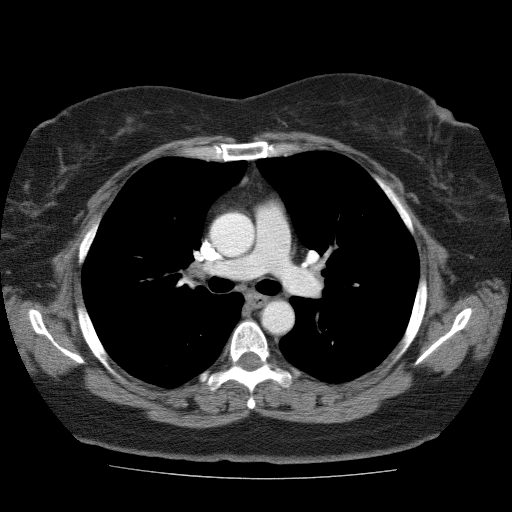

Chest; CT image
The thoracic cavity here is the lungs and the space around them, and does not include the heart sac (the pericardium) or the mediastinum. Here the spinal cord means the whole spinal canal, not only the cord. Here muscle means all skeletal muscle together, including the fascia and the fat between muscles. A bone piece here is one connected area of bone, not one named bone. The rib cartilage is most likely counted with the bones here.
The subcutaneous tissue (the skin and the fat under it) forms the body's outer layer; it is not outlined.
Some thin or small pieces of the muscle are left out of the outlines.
{"torso":[[[329,72],[367,73],[423,89],[456,119],[477,127],[493,160],[509,222],[509,290],[493,351],[463,405],[436,437],[414,448],[343,461],[190,461],[80,441],[30,376],[4,303],[0,273],[4,208],[33,129],[69,104],[119,87],[167,85],[242,98]]],"thoracic_cavity":[[[173,155],[208,162],[247,161],[239,181],[220,194],[207,209],[197,250],[198,264],[208,279],[225,294],[241,294],[243,303],[239,319],[217,360],[181,385],[166,388],[146,383],[132,376],[110,357],[87,311],[81,270],[102,217],[122,187],[148,163]],[[315,149],[346,156],[373,178],[412,236],[419,266],[411,312],[403,334],[394,348],[372,370],[338,383],[325,382],[303,372],[280,357],[274,348],[278,347],[281,338],[294,327],[296,321],[290,296],[303,277],[305,247],[282,198],[259,170],[257,160]]],"mediastinum":[[[252,160],[256,160],[258,170],[281,198],[304,247],[302,277],[289,296],[295,321],[293,327],[280,338],[277,347],[270,345],[255,320],[244,319],[238,323],[244,297],[239,292],[220,290],[199,264],[198,250],[208,209],[220,195],[240,181],[248,161]]],"muscle":[{"outer":[[266,131],[303,131],[326,136],[365,153],[395,174],[405,190],[416,195],[418,202],[411,202],[411,206],[449,254],[446,265],[458,278],[450,286],[453,293],[484,279],[501,278],[509,290],[492,353],[478,361],[467,359],[444,378],[388,398],[366,416],[337,423],[296,422],[252,412],[222,426],[178,426],[148,419],[139,409],[108,401],[78,385],[58,383],[29,373],[10,328],[2,283],[21,288],[24,299],[48,298],[54,290],[48,285],[54,279],[51,258],[74,237],[86,215],[88,199],[110,176],[161,144],[219,134],[240,142],[183,146],[172,155],[153,159],[125,182],[103,215],[100,211],[90,221],[78,246],[83,300],[75,312],[82,337],[93,355],[124,384],[127,381],[111,362],[146,384],[166,389],[196,377],[214,392],[233,380],[247,389],[246,406],[252,410],[256,406],[255,388],[264,381],[272,380],[287,389],[304,373],[329,384],[349,382],[375,369],[391,352],[387,369],[404,354],[420,328],[428,300],[428,283],[420,275],[410,213],[389,184],[346,155],[294,142],[250,141],[255,134]],"holes":[[[31,308],[38,310],[40,312],[42,316],[42,320],[47,330],[53,338],[61,346],[72,352],[77,353],[80,355],[85,361],[84,364],[78,363],[67,355],[64,354],[45,335],[38,334],[35,332],[32,327],[28,315],[28,311]],[[468,307],[471,308],[471,314],[469,317],[469,319],[467,321],[464,327],[462,329],[455,332],[450,337],[446,339],[433,351],[432,351],[420,363],[414,366],[413,365],[414,361],[436,340],[437,340],[441,336],[446,333],[450,329],[456,315],[460,311]]]}],"spinal_cord":[[[248,352],[251,352],[257,355],[261,363],[261,364],[258,367],[257,367],[253,370],[247,370],[246,369],[244,369],[238,364],[238,361],[240,357],[243,354],[245,353],[247,353]]],"bones":[{"outer":[[244,320],[255,321],[269,345],[279,357],[303,373],[303,375],[295,378],[287,388],[282,387],[272,379],[258,383],[252,393],[255,401],[255,406],[252,409],[247,406],[250,393],[243,384],[230,379],[214,391],[211,391],[197,377],[218,360],[234,328]],"hole":[[248,352],[251,352],[257,355],[261,363],[261,364],[258,367],[257,367],[253,370],[247,370],[246,369],[244,369],[238,364],[238,361],[240,357],[243,354],[245,353],[247,353]]},[[260,140],[264,140],[269,143],[283,142],[294,143],[309,148],[310,149],[296,153],[292,152],[285,153],[280,156],[264,157],[251,160],[242,159],[231,161],[213,160],[208,161],[205,159],[175,155],[175,153],[183,147],[197,147],[221,143],[240,143]],[[421,275],[425,278],[427,283],[427,300],[426,301],[425,311],[421,323],[414,338],[410,343],[407,349],[389,368],[387,368],[388,364],[392,359],[392,355],[394,353],[392,352],[403,336],[404,332],[407,327],[415,300],[415,296],[418,287],[419,278]],[[81,301],[83,301],[84,303],[86,311],[90,318],[92,325],[100,342],[109,357],[114,362],[111,361],[110,362],[111,365],[123,377],[126,382],[124,383],[122,382],[117,377],[110,373],[94,355],[85,341],[79,326],[77,313],[76,312],[76,307]],[[468,307],[471,308],[471,314],[469,317],[469,319],[467,321],[464,327],[462,329],[455,332],[450,337],[446,339],[433,351],[432,351],[420,363],[414,366],[413,365],[414,361],[436,340],[437,340],[441,336],[446,333],[450,329],[456,315],[460,311]],[[31,308],[38,310],[40,312],[42,316],[42,320],[47,330],[53,338],[61,346],[72,352],[77,353],[80,355],[85,361],[84,364],[78,363],[67,355],[64,354],[45,335],[38,334],[35,332],[32,327],[28,315],[28,311]],[[373,175],[377,175],[388,185],[389,185],[396,193],[396,194],[400,199],[402,204],[409,213],[409,215],[412,222],[413,229],[414,230],[414,233],[413,235],[412,235],[410,233],[409,230],[400,217],[395,207],[392,204],[384,191],[372,176]],[[100,212],[102,212],[102,216],[97,227],[94,238],[91,243],[91,245],[88,250],[88,252],[85,257],[85,259],[82,265],[80,266],[78,262],[78,253],[79,252],[79,246],[80,245],[80,243],[84,236],[84,234],[89,228],[91,221]]]}